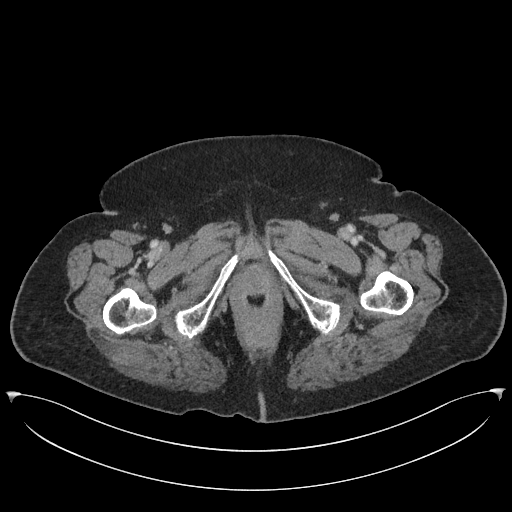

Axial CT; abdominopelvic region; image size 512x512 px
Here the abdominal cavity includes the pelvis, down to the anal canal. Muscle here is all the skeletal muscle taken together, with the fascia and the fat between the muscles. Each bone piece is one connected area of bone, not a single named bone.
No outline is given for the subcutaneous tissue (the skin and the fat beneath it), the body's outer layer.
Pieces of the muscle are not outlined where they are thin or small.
{"muscle":[{"outer":[[378,212],[405,214],[437,232],[443,241],[440,274],[449,292],[412,346],[363,379],[321,391],[285,385],[294,357],[314,329],[326,335],[337,326],[341,306],[303,288],[268,245],[269,261],[311,326],[286,306],[272,358],[252,365],[237,339],[232,314],[222,313],[201,336],[205,347],[230,370],[223,387],[213,391],[175,391],[119,373],[64,304],[69,251],[85,237],[109,229],[175,239],[218,220],[292,218],[332,229]],"holes":[[[253,263],[262,265],[267,269],[277,285],[279,297],[279,307],[277,317],[275,321],[275,327],[269,342],[269,345],[260,352],[252,349],[246,341],[241,327],[240,320],[235,309],[235,303],[234,302],[234,285],[236,281],[236,278],[241,270],[247,264]],[[124,287],[130,287],[138,294],[142,300],[147,303],[150,303],[155,306],[156,308],[156,317],[154,320],[141,327],[134,328],[130,331],[125,332],[122,334],[117,334],[108,328],[105,325],[102,317],[102,310],[106,300],[111,295],[118,292]],[[384,270],[388,270],[392,273],[407,280],[413,288],[414,294],[413,295],[412,303],[410,307],[401,315],[393,315],[392,314],[388,314],[385,312],[375,312],[374,311],[367,310],[360,303],[360,295],[361,293],[369,289],[373,285],[376,276],[380,272]],[[236,252],[239,253],[238,261],[230,275],[226,280],[221,292],[216,299],[216,301],[208,318],[205,328],[201,332],[189,339],[185,335],[181,334],[177,330],[174,319],[175,314],[179,310],[188,308],[196,304],[205,297],[211,289],[219,274],[222,266]]]}],"abdominal_cavity":[[[253,263],[262,265],[267,269],[277,285],[279,297],[279,307],[277,317],[275,321],[275,327],[269,342],[269,345],[260,352],[252,349],[246,341],[241,327],[240,320],[235,309],[235,303],[234,302],[234,285],[236,281],[236,278],[241,270],[247,264]]],"torso":[[[271,133],[319,137],[351,147],[381,166],[383,181],[420,193],[470,232],[495,264],[507,296],[503,329],[485,356],[351,408],[262,423],[199,409],[180,415],[155,410],[18,354],[9,323],[24,275],[64,224],[102,209],[98,194],[111,174],[179,142]]],"bones":[[[124,287],[130,287],[138,294],[142,300],[147,303],[150,303],[155,306],[156,308],[156,317],[154,320],[141,327],[134,328],[130,331],[125,332],[122,334],[117,334],[108,328],[105,325],[102,317],[102,310],[106,300],[111,295],[118,292]],[[384,270],[388,270],[392,273],[407,280],[413,288],[414,294],[413,295],[412,303],[410,307],[401,315],[393,315],[392,314],[388,314],[385,312],[375,312],[374,311],[367,310],[360,303],[360,295],[361,293],[369,289],[373,285],[376,276],[380,272]],[[268,246],[284,262],[294,279],[303,289],[308,293],[316,297],[331,300],[339,304],[340,306],[339,320],[336,326],[328,333],[322,334],[316,328],[314,328],[312,326],[299,299],[291,289],[290,286],[280,275],[275,266],[270,261],[267,254],[267,247]],[[236,252],[239,253],[238,261],[230,275],[226,280],[221,292],[216,299],[216,301],[208,318],[205,328],[201,332],[189,339],[185,335],[181,334],[177,330],[174,319],[175,314],[179,310],[188,308],[196,304],[205,297],[211,289],[219,274],[222,266]]]}